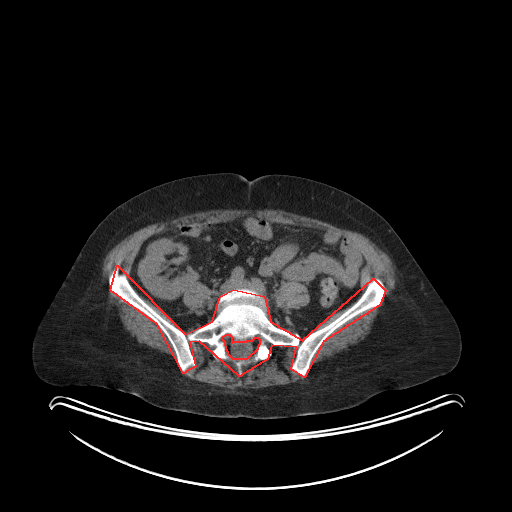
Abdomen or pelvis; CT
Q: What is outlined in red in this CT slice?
A: red: bones.
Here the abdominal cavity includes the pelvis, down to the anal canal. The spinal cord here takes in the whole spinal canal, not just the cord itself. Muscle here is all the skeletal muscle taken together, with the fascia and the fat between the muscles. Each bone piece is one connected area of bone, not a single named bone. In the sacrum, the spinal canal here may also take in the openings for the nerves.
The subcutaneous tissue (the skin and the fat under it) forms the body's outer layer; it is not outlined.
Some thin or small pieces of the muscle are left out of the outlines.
Outlines (x, y in pixels):
bones: 117 265; 185 334; 212 321; 220 296; 233 289; 264 296; 270 321; 302 340; 373 278; 385 290; 379 305; 323 341; 304 377; 291 369; 296 347; 271 345; 267 359; 239 376; 199 341; 189 342; 195 366; 183 373; 157 324; 110 290 with a hole at 226 334; 229 334; 231 336; 231 341; 232 342; 233 341; 246 341; 247 340; 250 340; 251 341; 255 337; 257 337; 259 339; 259 344; 257 347; 257 349; 246 359; 233 359; 228 354; 228 352; 226 349; 225 342; 222 339; 222 337
abdominal cavity: 245 215; 326 229; 351 240; 365 259; 359 297; 314 330; 299 333; 293 325; 287 329; 271 321; 269 301; 264 295; 249 287; 238 287; 219 296; 216 314; 209 322; 186 329; 175 325; 130 282; 141 245; 150 236; 166 230; 226 222; inner edge: 287 282; 295 282; 299 284; 302 284; 306 287; 307 291; 309 294; 309 302; 306 305; 302 306; 297 309; 291 309; 290 311; 286 311; 277 305; 276 303; 276 297; 275 295; 277 293; 279 288; 282 285; 282 284; 283 283; 286 283
muscle 1: 214 209; 279 209; 358 232; 389 256; 395 267; 395 287; 384 300; 385 284; 375 276; 362 293; 361 273; 366 264; 362 251; 351 239; 326 228; 282 223; 245 214; 231 220; 154 233; 140 245; 131 265; 129 281; 117 264; 109 273; 107 284; 109 290; 122 302; 140 311; 156 324; 171 345; 177 365; 170 355; 138 342; 124 328; 119 308; 112 301; 103 281; 103 261; 121 240; 147 225
muscle 2: 190 342; 205 343; 213 347; 210 351; 212 357; 230 361; 239 377; 243 376; 244 366; 267 360; 272 355; 271 346; 296 348; 290 369; 292 373; 305 378; 283 385; 242 389; 242 393; 228 393; 222 387; 190 379; 181 373; 196 366
muscle 3: 383 301; 383 303; 379 309; 378 314; 374 319; 369 333; 363 339; 355 344; 350 345; 347 349; 344 349; 330 357; 326 357; 324 359; 315 363; 311 366; 310 369; 311 362; 314 355; 324 341; 331 334; 356 316; 363 312; 376 308
muscle 4: 287 282; 295 282; 299 284; 302 284; 306 287; 307 291; 309 294; 309 302; 306 305; 302 306; 297 309; 291 309; 290 311; 286 311; 277 305; 276 303; 276 297; 275 295; 277 293; 279 288; 282 285; 282 284; 283 283; 286 283
muscle 5: 196 281; 204 284; 210 290; 212 291; 212 293; 211 294; 211 298; 212 300; 209 304; 209 308; 205 312; 201 314; 198 314; 195 312; 192 312; 190 311; 189 308; 186 306; 183 302; 183 295; 184 294; 185 290; 190 285; 190 284
muscle 6: 342 310; 344 310; 337 317; 336 317; 333 320; 332 320; 324 326; 323 326; 320 328; 318 328; 317 329; 316 329; 317 326; 320 323; 323 322; 335 313; 336 313; 339 311; 341 311
muscle 7: 145 300; 147 300; 148 301; 149 301; 152 304; 153 304; 155 306; 156 306; 158 308; 159 308; 168 317; 169 317; 173 321; 174 324; 173 324; 172 323; 169 322; 165 318; 164 318; 158 312; 157 312
torso: 212 172; 235 172; 248 179; 268 173; 307 177; 373 208; 401 238; 453 315; 462 342; 457 365; 444 375; 384 391; 351 408; 272 419; 211 417; 160 408; 114 389; 55 386; 41 380; 31 359; 36 328; 95 227; 115 207; 150 187
spinal cord: 226 334; 229 334; 231 336; 231 341; 232 342; 233 341; 246 341; 247 340; 250 340; 251 341; 255 337; 257 337; 259 339; 259 344; 257 347; 257 349; 246 359; 233 359; 228 354; 228 352; 226 349; 225 342; 222 339; 222 337